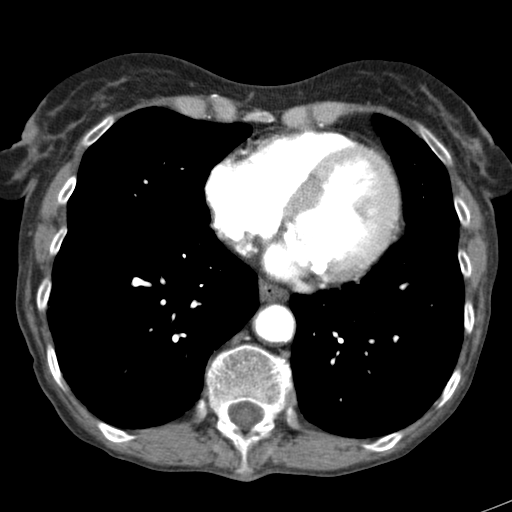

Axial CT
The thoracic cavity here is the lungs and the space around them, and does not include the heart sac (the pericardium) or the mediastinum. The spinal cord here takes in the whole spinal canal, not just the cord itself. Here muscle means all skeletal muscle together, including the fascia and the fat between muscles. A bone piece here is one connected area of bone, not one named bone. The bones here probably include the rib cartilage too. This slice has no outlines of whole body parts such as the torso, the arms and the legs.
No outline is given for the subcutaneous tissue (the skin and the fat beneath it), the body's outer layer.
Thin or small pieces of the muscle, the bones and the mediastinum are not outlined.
The thoracic cavity appears in 2 outlined pieces: piece 1: (147, 106) (165, 106) (195, 119) (250, 126) (250, 134) (210, 170) (203, 192) (209, 226) (217, 239) (256, 274) (258, 306) (211, 353) (203, 395) (192, 409) (159, 425) (123, 429) (94, 415) (65, 380) (47, 309) (53, 264) (68, 230) (67, 203) (82, 156) (117, 120); piece 2: (373, 113) (408, 127) (445, 166) (459, 221) (457, 260) (464, 291) (463, 335) (455, 366) (428, 409) (401, 429) (376, 438) (360, 438) (326, 431) (297, 409) (290, 363) (297, 322) (290, 298) (296, 293) (312, 295) (358, 284) (405, 233) (398, 176) (372, 121). The pericardium is outlined by (301, 127) (351, 130) (377, 140) (389, 155) (397, 176) (401, 193) (403, 219) (403, 227) (397, 239) (359, 281) (309, 292) (297, 291) (268, 280) (222, 242) (210, 226) (210, 211) (206, 204) (204, 192) (206, 180) (214, 166) (258, 132) (267, 128). The bones appear in 11 outlined pieces: piece 1: (241, 344) (258, 346) (289, 361) (299, 422) (298, 428) (289, 426) (281, 412) (270, 435) (248, 449) (251, 472) (242, 474) (235, 472) (240, 466) (240, 452) (231, 439) (216, 429) (215, 414) (209, 409) (200, 421) (194, 416) (194, 407) (204, 395) (209, 360) (220, 351), around a hole outlined by (244, 401) (248, 401) (249, 402) (251, 402) (257, 405) (259, 407) (260, 407) (262, 410) (262, 416) (261, 418) (248, 430) (242, 430) (231, 419) (230, 417) (230, 415) (229, 414) (229, 407) (232, 404) (235, 404) (236, 403) (238, 403) (239, 402) (243, 402); piece 2: (325, 102) (338, 102) (346, 105) (349, 108) (349, 110) (345, 114) (340, 116) (335, 121) (331, 123) (324, 124) (320, 122) (311, 122) (307, 125) (303, 126) (290, 127) (283, 124) (280, 120) (280, 116) (286, 110) (290, 108) (298, 106) (305, 106) (309, 108) (312, 105); piece 3: (212, 93) (216, 93) (222, 96) (234, 105) (237, 109) (237, 113) (240, 118) (249, 111) (265, 110) (275, 116) (277, 120) (273, 122) (261, 122) (260, 121) (245, 121) (239, 118) (231, 122) (220, 121) (215, 117) (215, 114) (212, 109) (211, 102) (209, 99) (209, 95); piece 4: (185, 97) (192, 97) (193, 98) (198, 98) (199, 99) (202, 99) (206, 102) (206, 105) (207, 106) (206, 108) (206, 111) (208, 114) (206, 115) (205, 118) (195, 118) (194, 117) (183, 114) (177, 111) (175, 109) (174, 107) (174, 101) (177, 98) (184, 98); piece 5: (419, 124) (421, 124) (423, 125) (426, 128) (427, 128) (447, 149) (452, 159) (452, 162) (453, 163) (452, 165) (445, 165) (436, 155) (436, 154) (431, 149) (431, 148) (426, 143) (426, 142) (421, 137) (420, 137) (419, 135) (418, 135) (417, 133) (417, 127); piece 6: (402, 429) (405, 431) (404, 435) (402, 438) (398, 441) (393, 446) (393, 447) (389, 448) (387, 450) (383, 450) (382, 451) (372, 451) (371, 450) (366, 449) (362, 446) (362, 444) (363, 443) (368, 443) (369, 442) (371, 442) (379, 437) (393, 433) (396, 431) (398, 431); piece 7: (97, 420) (100, 420) (116, 428) (119, 428) (120, 429) (125, 430) (127, 432) (131, 434) (134, 434) (136, 435) (136, 437) (133, 439) (131, 439) (127, 441) (123, 441) (122, 442) (114, 442) (113, 441) (111, 441) (107, 439) (97, 427) (96, 425) (96, 422); piece 8: (108, 115) (113, 115) (116, 120) (112, 124) (112, 125) (110, 127) (109, 127) (94, 142) (93, 142) (87, 147) (85, 147) (84, 146) (83, 146) (81, 144) (80, 144) (80, 142) (81, 141) (82, 138) (93, 127) (94, 127) (97, 124) (98, 124) (104, 118) (105, 118); piece 9: (48, 343) (51, 343) (54, 347) (54, 350) (55, 351) (55, 354) (56, 355) (57, 362) (58, 363) (60, 371) (62, 374) (62, 376) (66, 384) (65, 390) (63, 390) (57, 384) (50, 371) (50, 369) (49, 368) (49, 366) (47, 362) (47, 356) (46, 355) (46, 345); piece 10: (457, 367) (459, 367) (461, 369) (461, 376) (458, 382) (458, 384) (456, 388) (454, 390) (452, 395) (444, 403) (444, 404) (441, 407) (439, 407) (437, 408) (436, 405) (434, 403) (441, 395) (442, 393) (442, 391) (444, 387) (446, 385) (448, 380) (450, 378) (454, 369); piece 11: (73, 174) (76, 174) (76, 182) (75, 183) (75, 186) (74, 187) (74, 189) (72, 193) (70, 195) (66, 204) (64, 205) (62, 204) (58, 204) (58, 202) (57, 201) (57, 196) (58, 195) (58, 193) (61, 187) (63, 185) (64, 182) (67, 179) (67, 178) (69, 176). The spinal cord is outlined by (244, 401) (248, 401) (249, 402) (251, 402) (257, 405) (259, 407) (260, 407) (262, 410) (262, 416) (261, 418) (248, 430) (242, 430) (231, 419) (230, 417) (230, 415) (229, 414) (229, 407) (232, 404) (235, 404) (236, 403) (238, 403) (239, 402) (243, 402). The muscle appears in 5 outlined pieces: piece 1: (90, 128) (79, 142) (80, 145) (86, 148) (77, 171) (56, 196) (58, 205) (66, 205) (66, 223) (49, 244) (51, 278) (44, 276) (35, 292) (37, 310) (46, 311) (53, 340) (45, 345) (49, 371) (63, 391) (68, 385) (98, 419) (95, 425) (102, 435) (114, 443) (135, 439) (128, 429) (159, 426) (193, 409) (200, 422) (210, 410) (215, 429) (239, 452) (234, 471) (212, 463) (160, 465) (113, 450) (74, 419) (45, 377) (23, 305) (33, 232) (49, 184) (78, 140); piece 2: (448, 149) (455, 159) (459, 174) (479, 204) (487, 239) (483, 329) (467, 378) (457, 397) (431, 426) (406, 446) (388, 455) (333, 470) (302, 469) (266, 463) (252, 472) (248, 465) (249, 449) (271, 435) (276, 428) (276, 419) (283, 412) (284, 421) (293, 429) (300, 427) (298, 411) (308, 422) (326, 432) (348, 438) (374, 438) (363, 442) (361, 446) (372, 452) (382, 452) (393, 448) (405, 435) (404, 428) (420, 418) (433, 404) (437, 409) (441, 408) (453, 395) (462, 376) (462, 369) (455, 367) (463, 336) (469, 335) (473, 330) (475, 308) (470, 299) (465, 300) (463, 280) (472, 274) (471, 260) (466, 250) (458, 247) (460, 225) (463, 228) (469, 227) (471, 212) (461, 195) (453, 194) (446, 166) (452, 166) (454, 163); piece 3: (324, 100) (335, 100) (336, 101) (345, 101) (346, 102) (354, 102) (355, 103) (370, 102) (375, 105) (383, 105) (395, 111) (397, 111) (409, 118) (415, 119) (421, 123) (419, 123) (417, 125) (416, 133) (399, 120) (380, 112) (373, 112) (372, 113) (357, 112) (356, 113) (346, 114) (350, 110) (350, 108) (346, 104) (338, 101) (325, 101) (324, 102) (315, 103) (312, 104) (309, 107) (305, 105) (293, 106) (301, 104) (306, 104) (315, 101) (323, 101); piece 4: (186, 94) (209, 94) (208, 95) (208, 99) (210, 102) (211, 109) (214, 114) (214, 117) (218, 120) (206, 119) (207, 115) (209, 114) (207, 111) (208, 107) (207, 102) (202, 98) (193, 97) (192, 96) (177, 97) (173, 101) (173, 107) (174, 109) (165, 105) (147, 105) (136, 108) (126, 113) (118, 119) (116, 119) (113, 114) (108, 114) (104, 117) (107, 114) (118, 110) (121, 110) (140, 99) (149, 99) (157, 96) (172, 96) (173, 95) (185, 95); piece 5: (223, 96) (227, 97) (228, 98) (230, 98) (231, 99) (233, 99) (234, 100) (236, 100) (237, 101) (239, 101) (240, 102) (242, 102) (252, 107) (256, 107) (257, 108) (263, 109) (249, 110) (244, 113) (240, 117) (238, 113) (238, 109) (236, 107) (236, 106) (227, 98). The mediastinum appears in 3 outlined pieces: piece 1: (246, 263) (268, 281) (297, 292) (309, 293) (317, 290) (343, 286) (341, 289) (328, 291) (320, 290) (319, 291) (312, 294) (296, 292) (291, 295) (289, 298) (289, 307) (295, 318) (296, 330) (289, 360) (251, 343) (241, 343) (222, 349) (210, 358) (215, 350) (245, 325) (259, 306) (258, 277) (256, 272); piece 2: (357, 113) (370, 114) (371, 121) (379, 135) (381, 143) (377, 139) (371, 136) (369, 136) (359, 131) (356, 131) (351, 129) (344, 129) (337, 127) (304, 126) (307, 126) (312, 123) (320, 123) (324, 125) (327, 125) (335, 122) (342, 116) (345, 116) (350, 114) (356, 114); piece 3: (239, 119) (245, 122) (260, 122) (261, 123) (273, 123) (279, 120) (283, 125) (289, 127) (267, 127) (266, 128) (264, 128) (258, 131) (253, 136) (250, 137) (244, 143) (236, 147) (239, 144) (243, 142) (252, 132) (252, 128) (249, 124) (244, 122) (234, 121) (236, 121).